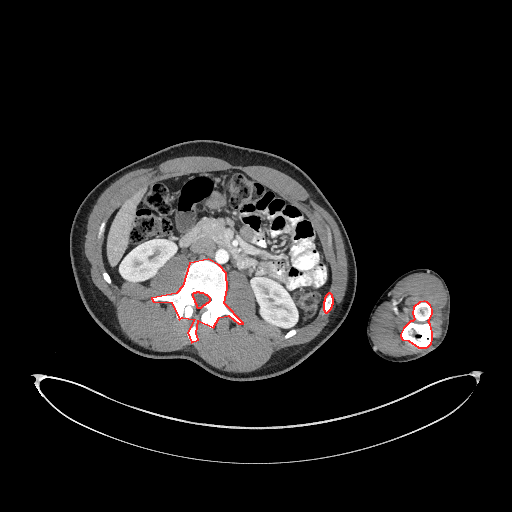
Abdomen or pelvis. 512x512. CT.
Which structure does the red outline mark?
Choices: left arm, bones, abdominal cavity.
red: bones.
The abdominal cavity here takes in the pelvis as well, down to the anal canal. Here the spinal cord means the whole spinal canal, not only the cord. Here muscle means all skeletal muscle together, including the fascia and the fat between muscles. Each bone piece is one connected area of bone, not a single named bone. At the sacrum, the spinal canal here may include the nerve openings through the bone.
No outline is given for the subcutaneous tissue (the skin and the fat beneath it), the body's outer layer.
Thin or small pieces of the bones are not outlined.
{"bones":[{"outer":[[191,342],[198,339],[196,333],[198,320],[213,327],[219,317],[228,315],[238,323],[243,323],[224,303],[227,288],[226,273],[219,265],[208,259],[189,263],[182,286],[176,293],[151,298],[153,301],[171,302],[179,319],[182,317],[194,319],[187,332]],"hole":[[197,307],[201,307],[204,304],[205,304],[207,302],[208,302],[210,300],[210,298],[207,295],[206,295],[203,293],[200,293],[199,292],[196,292],[195,293],[193,293],[192,294],[192,296],[194,299],[194,301],[195,302],[195,303],[196,304],[196,306]]},[[418,347],[426,347],[428,346],[431,343],[432,339],[432,332],[430,324],[428,321],[432,314],[432,309],[430,305],[427,302],[424,301],[419,302],[413,307],[412,313],[414,319],[412,321],[410,321],[403,328],[400,334],[400,336],[402,339],[408,340]],[[325,312],[327,312],[331,308],[331,307],[332,306],[332,304],[333,303],[333,298],[332,297],[332,295],[330,293],[328,293],[325,296],[325,297],[324,298],[324,301],[323,302],[323,309],[324,310],[324,311]]],"left_arm":[[[393,362],[405,362],[417,359],[426,355],[435,349],[443,341],[447,333],[450,313],[449,291],[443,278],[437,272],[433,270],[427,268],[416,268],[409,270],[400,275],[381,294],[369,314],[366,327],[366,334],[368,342],[373,351],[377,355],[386,360]]],"spinal_cord":[[[197,307],[201,307],[204,304],[205,304],[207,302],[208,302],[210,300],[210,298],[207,295],[206,295],[203,293],[200,293],[199,292],[196,292],[195,293],[193,293],[192,294],[192,296],[194,299],[194,301],[195,302],[195,303],[196,304],[196,306]]],"muscle":[{"outer":[[232,372],[247,372],[259,368],[275,352],[289,346],[304,344],[310,341],[327,324],[335,308],[343,299],[348,277],[344,243],[337,224],[331,215],[317,204],[298,182],[283,172],[267,166],[241,166],[210,156],[184,156],[166,160],[155,167],[136,169],[126,173],[105,189],[97,199],[88,217],[84,253],[90,264],[90,276],[93,283],[115,307],[122,331],[134,342],[156,351],[173,351],[186,349],[191,346],[211,365]],"holes":[[[191,342],[198,339],[198,320],[213,327],[219,317],[228,315],[243,323],[224,303],[230,269],[246,275],[257,315],[285,332],[285,338],[311,321],[322,305],[327,312],[333,303],[327,292],[329,266],[307,216],[241,170],[199,171],[151,183],[131,195],[98,230],[99,238],[104,235],[103,277],[110,284],[146,285],[174,256],[186,256],[190,262],[181,288],[151,300],[171,302],[177,318],[194,319],[187,332]],[[330,244],[330,230],[329,229],[329,228],[328,227],[327,227],[327,231],[328,232],[328,241],[329,242],[329,243]]]},{"outer":[[393,356],[409,355],[423,351],[434,343],[440,336],[442,331],[441,326],[443,322],[442,310],[446,304],[446,293],[440,280],[435,276],[426,273],[414,273],[405,277],[397,283],[386,297],[385,301],[376,310],[371,325],[372,339],[379,350],[383,353]],"hole":[[418,347],[426,347],[428,346],[431,343],[432,339],[432,332],[430,324],[428,321],[432,314],[432,309],[430,305],[427,302],[424,301],[419,302],[413,307],[412,313],[414,319],[412,321],[410,321],[403,328],[400,334],[400,336],[402,339],[408,340]]}],"torso":[[[234,381],[265,379],[282,374],[321,346],[350,310],[357,283],[356,261],[338,214],[313,180],[297,165],[262,150],[217,140],[189,140],[160,149],[116,170],[86,195],[70,228],[70,262],[78,293],[88,313],[122,346],[149,358],[188,359],[218,377]]],"abdominal_cavity":[[[284,332],[315,317],[330,284],[329,266],[317,232],[307,216],[287,201],[241,170],[199,171],[151,183],[112,213],[104,231],[102,255],[106,271],[115,283],[133,281],[146,285],[179,253],[190,262],[208,258],[226,272],[243,272],[254,296],[257,315]]]}